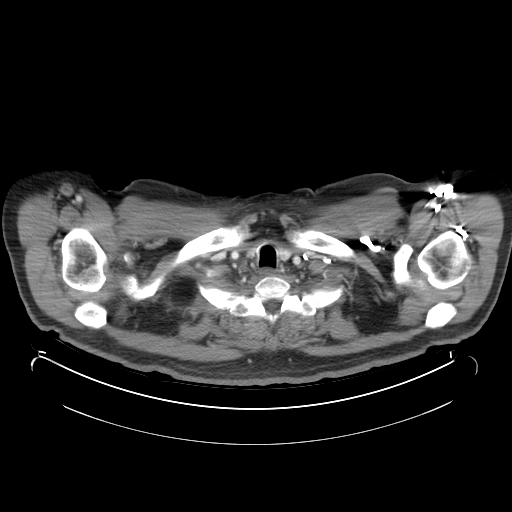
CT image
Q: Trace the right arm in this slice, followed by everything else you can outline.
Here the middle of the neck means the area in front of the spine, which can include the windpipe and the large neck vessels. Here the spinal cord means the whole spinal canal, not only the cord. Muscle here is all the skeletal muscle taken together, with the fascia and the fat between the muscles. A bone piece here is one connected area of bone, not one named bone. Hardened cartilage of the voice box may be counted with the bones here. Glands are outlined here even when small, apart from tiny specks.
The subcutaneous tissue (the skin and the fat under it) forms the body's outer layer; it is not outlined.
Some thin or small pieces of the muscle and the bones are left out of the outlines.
A: The right arm is outlined by (41, 167) (70, 167) (91, 172) (95, 182) (102, 190) (105, 191) (110, 203) (117, 232) (117, 261) (110, 286) (96, 303) (86, 310) (62, 321) (51, 324) (35, 325) (29, 318) (17, 290) (9, 256) (3, 240) (1, 211) (6, 191) (12, 181) (16, 177) (27, 171). The spinal cord is outlined by (270, 299) (277, 299) (278, 300) (280, 300) (280, 305) (279, 306) (279, 308) (278, 309) (278, 310) (277, 311) (276, 311) (273, 313) (271, 313) (270, 312) (268, 312) (266, 310) (266, 309) (264, 306) (264, 304) (263, 303) (265, 301) (266, 301) (267, 300) (269, 300). The thyroid glands appear in 2 outlined pieces: piece 1: (279, 248) (281, 248) (283, 250) (285, 250) (286, 251) (287, 251) (288, 252) (291, 252) (291, 256) (286, 261) (282, 261) (281, 260) (281, 259) (280, 258) (279, 258); piece 2: (255, 246) (257, 246) (257, 251) (255, 253) (255, 254) (252, 257) (252, 258) (249, 258) (247, 256) (246, 256) (246, 251) (247, 250) (248, 250) (249, 249) (251, 249) (253, 247) (254, 247). The middle of the neck is outlined by (263, 240) (272, 240) (287, 248) (295, 251) (309, 252) (311, 257) (305, 266) (297, 272) (294, 272) (284, 276) (269, 274) (268, 275) (265, 275) (260, 278) (250, 277) (245, 273) (238, 271) (230, 264) (229, 262) (230, 252) (234, 249) (240, 250) (250, 244) (259, 242) with a hole at (279, 248) (281, 248) (283, 250) (285, 250) (286, 251) (287, 251) (288, 252) (291, 252) (291, 256) (286, 261) (282, 261) (281, 260) (281, 259) (280, 258) (279, 258). The left arm is outlined by (463, 167) (480, 168) (492, 171) (501, 176) (511, 187) (511, 254) (508, 261) (508, 265) (500, 293) (489, 317) (483, 317) (464, 312) (433, 294) (424, 285) (418, 276) (408, 255) (405, 231) (407, 212) (410, 201) (410, 193) (413, 183) (430, 176) (440, 169) (462, 168). The muscle is outlined by (63, 181) (93, 192) (112, 208) (128, 195) (193, 206) (240, 204) (254, 210) (272, 208) (281, 212) (335, 203) (385, 186) (409, 200) (455, 192) (491, 193) (500, 198) (504, 227) (490, 290) (481, 306) (465, 321) (447, 324) (458, 310) (452, 302) (441, 300) (425, 314) (423, 325) (431, 329) (406, 341) (336, 356) (310, 356) (286, 349) (234, 360) (196, 362) (127, 347) (97, 330) (69, 327) (37, 306) (23, 266) (16, 210) (26, 196); inner edges: (263, 240) (309, 252) (311, 257) (302, 269) (281, 277) (292, 290) (300, 293) (342, 285) (342, 294) (311, 316) (288, 310) (272, 324) (259, 316) (234, 316) (216, 308) (199, 292) (197, 284) (239, 292) (252, 290) (260, 279) (235, 269) (229, 255) (234, 249), then (449, 229) (461, 235) (471, 254) (471, 268) (464, 279) (445, 289) (434, 288) (428, 283) (423, 288) (413, 284) (395, 284) (392, 276) (393, 256) (398, 248) (404, 243) (412, 247) (407, 263) (408, 271) (414, 279) (425, 280) (426, 275) (418, 267) (417, 256) (431, 239), then (74, 227) (83, 227) (86, 228) (90, 232) (107, 256) (108, 264) (105, 267) (104, 270) (104, 274) (106, 278) (103, 285) (96, 292) (86, 292) (72, 288) (66, 284) (62, 279) (61, 272) (60, 271) (60, 267) (61, 266) (61, 251) (60, 250) (61, 240) (64, 235), then (237, 224) (241, 224) (242, 225) (245, 224) (247, 225) (251, 233) (251, 237) (245, 240) (240, 245) (235, 247) (227, 247) (214, 251) (205, 252) (201, 255) (198, 255) (174, 267) (172, 267) (170, 265) (170, 262) (176, 256) (178, 251) (188, 241) (221, 226) (231, 226), then (294, 229) (313, 229) (321, 231) (328, 235) (335, 237) (345, 243) (352, 249) (354, 254) (353, 256) (351, 256) (345, 260) (339, 258) (335, 255) (332, 255) (328, 253) (296, 247) (292, 243) (288, 241) (286, 237) (286, 234) (291, 230), then (162, 272) (164, 272) (165, 273) (164, 275) (164, 280) (160, 287) (153, 295) (138, 301) (134, 301) (125, 294) (123, 290) (123, 285) (126, 283) (126, 277) (129, 274) (133, 274) (135, 275) (137, 278) (138, 283) (140, 285) (142, 285) (149, 282) (150, 280) (157, 274), then (88, 300) (92, 300) (102, 305) (106, 309) (106, 311) (107, 312) (106, 314) (106, 324) (104, 326) (100, 328) (98, 328) (97, 329) (95, 329) (94, 328) (91, 328) (81, 323) (74, 316) (74, 311) (76, 307) (81, 303) (85, 301) (87, 301), then (125, 252) (128, 252) (130, 254) (130, 255) (131, 256) (131, 258) (132, 259) (132, 262) (131, 263) (131, 264) (128, 264) (127, 263) (126, 263) (125, 262) (125, 261) (123, 259) (123, 254). The torso is outlined by (368, 172) (413, 182) (404, 237) (408, 259) (423, 285) (458, 310) (488, 318) (458, 343) (433, 345) (416, 358) (339, 379) (226, 387) (125, 369) (36, 326) (72, 318) (109, 290) (118, 261) (118, 232) (107, 189) (155, 178) (206, 194) (234, 196) (313, 189). The bones appear in 8 outlined pieces: piece 1: (269, 275) (283, 278) (290, 284) (291, 289) (298, 293) (340, 285) (343, 286) (343, 292) (331, 304) (317, 308) (311, 316) (303, 316) (288, 310) (272, 324) (255, 315) (234, 316) (227, 310) (212, 305) (199, 292) (197, 284) (241, 292) (252, 290) (261, 278) with a hole at (270, 299) (277, 299) (278, 300) (280, 300) (280, 305) (279, 306) (279, 308) (278, 309) (278, 310) (277, 311) (276, 311) (273, 313) (271, 313) (270, 312) (268, 312) (266, 310) (266, 309) (264, 306) (264, 304) (263, 303) (265, 301) (266, 301) (267, 300) (269, 300); piece 2: (449, 229) (461, 235) (471, 254) (471, 268) (464, 279) (445, 289) (434, 288) (428, 283) (423, 288) (413, 284) (395, 284) (392, 276) (393, 256) (398, 248) (404, 243) (412, 247) (407, 263) (408, 271) (414, 279) (425, 280) (426, 275) (418, 267) (417, 256) (431, 239); piece 3: (74, 227) (83, 227) (86, 228) (90, 232) (107, 256) (108, 264) (105, 267) (104, 270) (104, 274) (106, 278) (103, 285) (96, 292) (86, 292) (72, 288) (66, 284) (62, 279) (61, 272) (60, 271) (60, 267) (61, 266) (61, 251) (60, 250) (61, 240) (64, 235); piece 4: (237, 224) (241, 224) (242, 225) (245, 224) (247, 225) (251, 233) (251, 237) (245, 240) (240, 245) (235, 247) (227, 247) (214, 251) (205, 252) (201, 255) (198, 255) (174, 267) (172, 267) (170, 265) (170, 262) (176, 256) (178, 251) (188, 241) (221, 226) (231, 226); piece 5: (294, 229) (313, 229) (321, 231) (328, 235) (335, 237) (345, 243) (352, 249) (354, 254) (353, 256) (351, 256) (345, 260) (339, 258) (335, 255) (332, 255) (328, 253) (296, 247) (292, 243) (288, 241) (286, 237) (286, 234) (291, 230); piece 6: (162, 272) (164, 272) (165, 273) (164, 275) (164, 280) (160, 287) (153, 295) (138, 301) (134, 301) (125, 294) (123, 290) (123, 285) (126, 283) (126, 277) (129, 274) (133, 274) (135, 275) (137, 278) (138, 283) (140, 285) (142, 285) (149, 282) (150, 280) (157, 274); piece 7: (88, 300) (92, 300) (102, 305) (106, 309) (106, 311) (107, 312) (106, 314) (106, 324) (104, 326) (100, 328) (98, 328) (97, 329) (95, 329) (94, 328) (91, 328) (81, 323) (74, 316) (74, 311) (76, 307) (81, 303) (85, 301) (87, 301); piece 8: (441, 301) (443, 301) (444, 302) (450, 302) (452, 303) (454, 305) (454, 306) (457, 310) (457, 312) (456, 314) (445, 325) (439, 328) (435, 328) (434, 329) (432, 329) (431, 328) (428, 328) (426, 327) (424, 325) (424, 322) (425, 321) (426, 314) (428, 310) (433, 305).